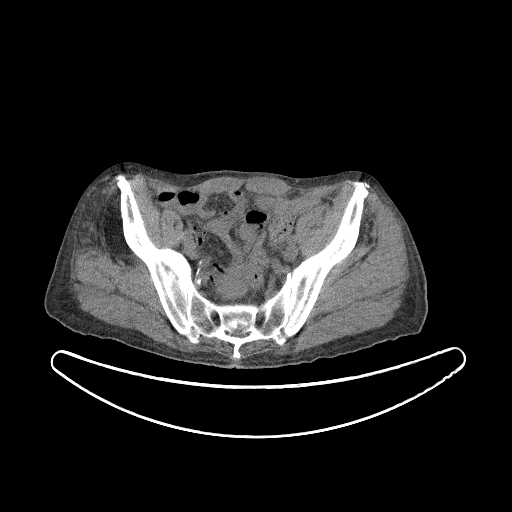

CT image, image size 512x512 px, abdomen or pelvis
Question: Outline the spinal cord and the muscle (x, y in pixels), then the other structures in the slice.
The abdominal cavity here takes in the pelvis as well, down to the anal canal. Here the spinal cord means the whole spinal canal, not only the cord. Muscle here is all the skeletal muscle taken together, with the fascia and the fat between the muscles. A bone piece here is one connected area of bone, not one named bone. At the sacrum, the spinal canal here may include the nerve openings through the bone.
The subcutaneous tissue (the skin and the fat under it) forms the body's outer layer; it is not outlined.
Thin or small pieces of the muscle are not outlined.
Answer: spinal cord 1: (213, 311) (215, 311) (217, 313) (217, 314) (218, 315) (218, 316) (219, 317) (219, 318) (220, 319) (220, 321) (218, 323) (215, 323) (213, 321) (213, 320) (212, 319) (212, 317) (211, 316) (211, 313)
spinal cord 2: (260, 311) (262, 311) (264, 313) (264, 316) (263, 317) (263, 320) (260, 323) (258, 323) (256, 321) (256, 318) (257, 317) (257, 314)
spinal cord 3: (236, 332) (238, 332) (239, 333) (242, 333) (243, 334) (244, 334) (245, 333) (247, 333) (247, 334) (246, 335) (245, 335) (244, 336) (236, 336) (235, 335) (232, 335) (231, 334) (232, 334) (233, 333) (235, 333)
muscle 1: (115, 174) (123, 239) (146, 266) (172, 327) (194, 345) (216, 338) (239, 359) (245, 343) (282, 346) (297, 334) (326, 277) (357, 243) (365, 199) (371, 186) (364, 181) (377, 188) (401, 223) (409, 270) (402, 302) (380, 327) (240, 361) (181, 351) (104, 322) (75, 303) (71, 258) (88, 196)
muscle 2: (120, 172) (140, 172) (181, 186) (194, 185) (219, 176) (275, 177) (290, 185) (305, 188) (332, 184) (344, 179) (359, 180) (348, 181) (353, 190) (331, 239) (321, 249) (302, 259) (295, 236) (296, 224) (300, 216) (312, 206) (312, 202) (300, 192) (272, 195) (250, 191) (245, 186) (239, 186) (230, 192) (200, 192) (189, 188) (152, 189) (149, 196) (158, 210) (161, 213) (172, 210) (181, 221) (182, 236) (175, 249) (158, 247) (153, 242) (131, 183)
torso: (123, 161) (139, 162) (177, 173) (236, 169) (269, 171) (292, 177) (327, 175) (344, 170) (371, 174) (404, 216) (424, 266) (428, 312) (420, 332) (310, 363) (275, 368) (228, 369) (166, 358) (65, 327) (48, 316) (43, 306) (44, 293) (64, 231) (87, 185) (103, 170)
bones: (120, 173) (152, 242) (180, 252) (197, 290) (217, 304) (258, 305) (272, 297) (336, 233) (354, 190) (349, 181) (370, 186) (356, 243) (325, 277) (297, 333) (282, 345) (270, 338) (245, 342) (233, 358) (230, 342) (201, 335) (194, 344) (169, 321) (147, 266) (123, 236); inner edges: (213, 311) (215, 311) (217, 313) (217, 314) (218, 315) (218, 316) (219, 317) (219, 318) (220, 319) (220, 321) (218, 323) (215, 323) (213, 321) (213, 320) (212, 319) (212, 317) (211, 316) (211, 313), then (260, 311) (262, 311) (264, 313) (264, 316) (263, 317) (263, 320) (260, 323) (258, 323) (256, 321) (256, 318) (257, 317) (257, 314), then (236, 332) (238, 332) (239, 333) (242, 333) (243, 334) (244, 334) (245, 333) (247, 333) (247, 334) (246, 335) (245, 335) (244, 336) (236, 336) (235, 335) (232, 335) (231, 334) (232, 334) (233, 333) (235, 333)
abdominal cavity: (239, 187) (272, 196) (300, 193) (311, 202) (295, 224) (294, 236) (302, 260) (286, 274) (279, 289) (258, 304) (217, 303) (204, 296) (193, 281) (190, 263) (177, 250) (183, 236) (180, 217) (169, 208) (161, 212) (150, 196) (152, 190) (189, 189) (200, 193) (230, 193)